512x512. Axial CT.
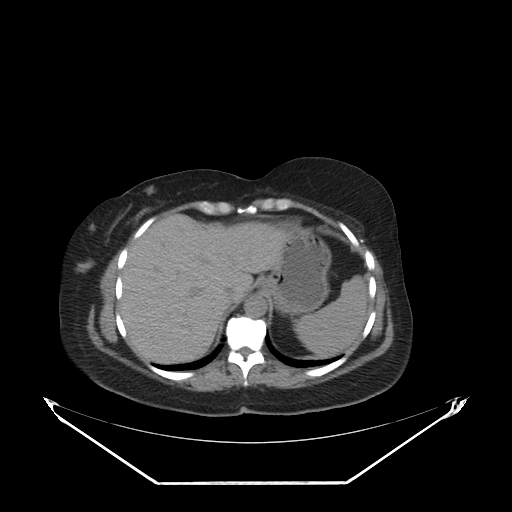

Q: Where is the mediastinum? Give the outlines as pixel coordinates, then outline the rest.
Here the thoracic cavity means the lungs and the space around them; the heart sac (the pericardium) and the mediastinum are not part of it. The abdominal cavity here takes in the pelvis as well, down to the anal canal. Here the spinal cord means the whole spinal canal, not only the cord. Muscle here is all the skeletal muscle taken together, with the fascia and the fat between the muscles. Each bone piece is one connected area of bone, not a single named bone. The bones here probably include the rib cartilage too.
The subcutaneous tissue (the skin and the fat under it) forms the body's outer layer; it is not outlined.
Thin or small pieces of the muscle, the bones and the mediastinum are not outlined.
A: mediastinum 1: 256 291; 261 292; 267 298; 267 300; 269 304; 268 319; 266 322; 265 320; 262 318; 253 318; 247 315; 237 315; 236 316; 230 316; 229 317; 229 315; 234 311; 240 302; 241 302; 242 300; 246 297; 246 296; 252 292; 255 292
mediastinum 2: 290 208; 297 208; 307 211; 313 214; 316 217; 321 219; 325 222; 326 224; 331 226; 339 232; 341 232; 341 233; 335 231; 327 225; 309 222; 304 218; 303 215; 279 214; 278 213; 268 214; 267 213; 258 212; 261 211; 283 211
bones 1: 237 316; 247 316; 253 319; 262 319; 266 323; 266 334; 264 337; 264 343; 261 348; 265 362; 254 364; 249 369; 246 377; 248 382; 247 386; 243 385; 243 374; 241 368; 237 364; 227 360; 230 349; 226 343; 226 323; 230 317; inner edge: 242 347; 247 347; 248 348; 249 348; 251 350; 251 352; 249 354; 248 354; 245 357; 244 357; 238 351; 239 350; 239 349; 240 349
bones 2: 202 200; 206 200; 207 201; 209 201; 215 204; 218 202; 220 202; 221 201; 224 201; 230 204; 233 207; 233 210; 230 213; 228 213; 227 214; 216 214; 215 215; 210 215; 209 214; 206 214; 201 211; 199 211; 196 208; 196 203
bones 3: 267 198; 272 198; 273 199; 278 199; 279 198; 285 198; 286 199; 289 199; 291 200; 292 202; 292 205; 291 207; 287 209; 284 209; 283 210; 276 210; 275 209; 272 209; 271 210; 262 210; 260 208; 260 205; 261 203; 265 199
bones 4: 149 363; 150 364; 152 364; 155 367; 159 369; 161 369; 162 370; 165 370; 166 371; 192 371; 194 373; 194 374; 192 376; 188 378; 185 378; 184 379; 181 379; 180 380; 174 380; 173 379; 166 378; 151 370; 147 365
bones 5: 342 356; 345 356; 346 357; 346 360; 342 364; 336 367; 334 369; 320 376; 309 376; 308 375; 306 375; 304 372; 308 369; 310 369; 311 368; 314 368; 315 367; 320 367; 321 366; 326 365; 329 363; 331 363; 339 359
bones 6: 339 221; 340 221; 344 224; 345 224; 348 227; 348 228; 352 232; 352 233; 359 241; 359 245; 358 246; 358 247; 356 247; 355 246; 354 246; 351 243; 351 242; 348 239; 348 238; 341 230; 341 229; 338 225; 338 222
bones 7: 152 216; 154 216; 155 217; 155 219; 154 220; 154 221; 145 230; 145 231; 144 231; 143 232; 143 233; 142 233; 141 234; 141 235; 137 239; 134 239; 134 234; 136 232; 136 231; 138 229; 138 228; 147 219; 148 219
bones 8: 371 311; 374 311; 375 312; 375 318; 374 319; 373 324; 372 325; 372 326; 371 327; 368 334; 366 336; 366 337; 363 338; 362 337; 362 333; 364 330; 364 328; 366 325; 366 323; 368 320; 368 318; 369 317; 369 315; 370 314
bones 9: 366 250; 369 250; 371 252; 371 253; 372 254; 372 255; 373 256; 373 258; 374 259; 374 268; 372 270; 369 270; 368 269; 368 268; 367 267; 367 266; 366 265; 366 264; 365 263; 365 260; 364 259; 364 253; 365 252; 365 251
bones 10: 117 312; 118 312; 119 313; 119 315; 123 322; 123 325; 125 328; 125 331; 126 332; 126 337; 125 338; 122 337; 122 336; 120 334; 120 333; 118 330; 118 328; 117 327; 117 324; 116 323; 116 318; 115 317; 115 315
bones 11: 125 247; 126 247; 127 248; 127 250; 128 251; 127 252; 127 257; 125 260; 125 263; 124 264; 123 267; 121 269; 119 269; 117 266; 117 262; 118 261; 118 257; 119 256; 119 254; 120 253; 120 252; 122 250; 122 249
bones 12: 250 204; 251 204; 254 206; 256 206; 258 208; 258 210; 256 212; 256 213; 254 213; 253 214; 251 214; 250 213; 238 213; 236 211; 236 209; 238 207; 241 207; 242 208; 244 208
bones 13: 370 276; 373 276; 374 277; 374 279; 375 280; 375 283; 376 284; 376 288; 375 289; 375 294; 374 295; 374 297; 372 299; 371 299; 370 298; 370 296; 369 295; 369 278; 370 277
bones 14: 120 275; 120 276; 121 277; 121 296; 120 297; 120 298; 119 299; 117 299; 117 298; 116 297; 116 293; 115 292; 115 286; 116 285; 116 280; 117 279; 117 277; 118 276; 119 276
abdominal cavity: 184 210; 200 219; 257 212; 303 216; 346 237; 369 274; 369 314; 357 343; 344 355; 326 359; 294 359; 280 353; 267 331; 268 298; 256 290; 228 315; 224 337; 205 357; 160 364; 138 355; 120 315; 122 269; 136 240; 154 222
thoracic cavity 1: 267 332; 269 341; 273 347; 279 352; 280 354; 294 360; 326 360; 338 356; 341 356; 339 358; 331 362; 329 362; 320 366; 315 366; 314 367; 297 367; 296 366; 288 365; 279 360; 269 351; 265 343; 265 337; 267 334
thoracic cavity 2: 225 335; 225 343; 220 352; 211 361; 201 367; 191 370; 166 370; 159 368; 153 364; 159 364; 160 365; 189 364; 192 362; 201 360; 203 358; 205 358; 206 356; 208 356; 211 354; 216 349; 218 345; 222 342; 222 340; 225 337
muscle 1: 137 228; 133 234; 135 242; 129 250; 126 246; 123 247; 121 249; 118 254; 116 262; 121 273; 114 286; 119 303; 119 312; 114 317; 121 337; 127 338; 133 351; 148 362; 146 365; 151 371; 174 381; 192 377; 195 374; 192 370; 211 362; 226 344; 229 349; 226 360; 240 368; 242 385; 246 387; 228 393; 211 393; 165 384; 102 352; 91 342; 86 329; 87 313; 92 304; 98 308; 100 305; 101 276; 109 261
muscle 2: 360 242; 369 248; 375 254; 388 289; 394 331; 389 348; 349 372; 309 386; 283 391; 261 390; 248 386; 250 369; 254 365; 266 362; 262 351; 264 344; 282 363; 297 368; 310 368; 303 372; 306 376; 320 377; 342 365; 347 360; 345 354; 360 338; 367 337; 376 318; 376 312; 370 312; 370 300; 375 297; 377 284; 375 277; 369 273; 375 268; 374 256; 372 252; 369 249; 368 249; 366 249; 362 256; 356 249
muscle 3: 196 200; 201 200; 195 203; 195 208; 196 209; 184 209; 179 211; 175 211; 169 213; 167 215; 165 215; 163 217; 155 221; 156 217; 153 215; 159 212; 161 210; 163 210; 166 208; 181 203; 184 203; 189 201; 195 201
muscle 4: 292 200; 295 200; 298 202; 304 203; 307 205; 310 205; 313 208; 317 209; 320 212; 339 220; 337 222; 337 225; 341 231; 339 231; 331 225; 326 223; 322 219; 322 215; 315 209; 312 209; 310 212; 301 208; 292 207; 293 205
muscle 5: 257 198; 266 198; 259 205; 259 208; 261 210; 260 211; 258 211; 259 208; 256 205; 250 203; 244 207; 238 206; 235 209; 236 212; 232 212; 234 210; 234 207; 230 203; 225 201; 232 201; 240 203; 249 203; 254 199
spinal cord: 242 347; 247 347; 248 348; 249 348; 251 350; 251 352; 249 354; 248 354; 245 357; 244 357; 238 351; 239 350; 239 349; 240 349
torso: 300 156; 325 156; 356 165; 374 176; 393 202; 414 326; 410 360; 397 383; 363 402; 324 411; 207 417; 136 402; 99 386; 73 366; 59 334; 60 266; 69 238; 95 206; 146 179; 163 174; 211 168; 245 178; 258 178; 277 165